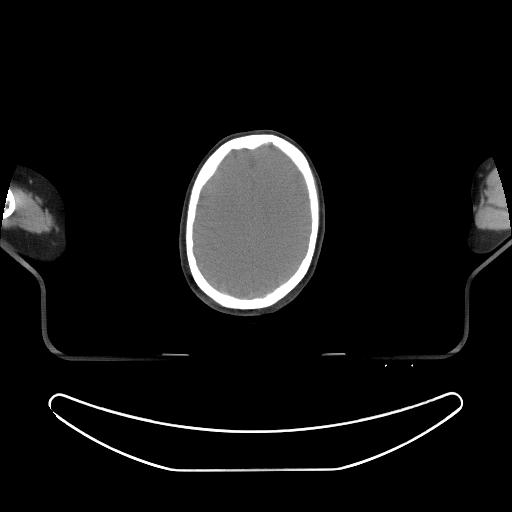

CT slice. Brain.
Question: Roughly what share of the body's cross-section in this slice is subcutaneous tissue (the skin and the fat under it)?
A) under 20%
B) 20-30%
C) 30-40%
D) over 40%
Answer: B) 20-30%
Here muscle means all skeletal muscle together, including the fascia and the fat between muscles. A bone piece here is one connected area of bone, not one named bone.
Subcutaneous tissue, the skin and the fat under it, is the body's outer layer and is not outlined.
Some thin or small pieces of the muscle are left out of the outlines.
The left arm is outlined by 489 156; 491 156; 493 159; 499 179; 501 182; 501 187; 503 190; 505 205; 507 209; 508 223; 511 233; 506 239; 489 253; 478 254; 471 251; 466 245; 466 236; 471 222; 472 214; 472 204; 470 200; 470 185; 476 168; 484 159. The right arm is outlined by 17 164; 26 165; 44 175; 56 187; 63 200; 66 213; 67 245; 65 252; 62 257; 55 262; 52 263; 39 263; 32 260; 28 260; 22 257; 0 241; 1 230; 2 229; 2 214; 5 205; 5 200; 8 189; 10 187; 10 182. The brain is outlined by 268 144; 271 144; 287 156; 303 178; 307 192; 310 217; 307 245; 305 253; 296 269; 287 279; 263 295; 249 298; 238 297; 221 291; 213 286; 204 276; 198 265; 194 253; 194 224; 197 207; 203 187; 230 152; 241 149; 254 150. The head is outlined by 260 128; 273 129; 288 135; 297 141; 312 159; 323 188; 325 233; 315 271; 302 291; 291 302; 276 312; 260 316; 228 315; 218 312; 202 302; 192 292; 183 275; 178 249; 182 203; 188 182; 195 168; 206 152; 218 140; 234 132. The bones appear in 2 outlined pieces: piece 1: 260 133; 274 134; 286 139; 299 148; 307 158; 314 176; 319 200; 318 235; 310 266; 303 278; 291 291; 267 307; 258 309; 233 309; 218 304; 206 295; 197 286; 191 275; 185 248; 187 206; 193 182; 210 154; 221 144; 232 138, around a hole outlined by 268 144; 271 144; 287 156; 303 178; 307 192; 310 217; 307 245; 305 253; 296 269; 287 279; 263 295; 249 298; 238 297; 221 291; 213 286; 204 276; 198 265; 194 253; 194 224; 197 207; 203 187; 230 152; 241 149; 254 150; piece 2: 10 187; 11 189; 11 191; 14 196; 14 198; 16 202; 16 206; 13 212; 10 215; 9 215; 2 222; 2 223; 2 214; 3 213; 3 210; 4 209; 4 206; 5 205; 5 200; 6 199; 6 196; 8 192; 8 189. The muscle appears in 2 outlined pieces: piece 1: 14 183; 17 183; 24 186; 38 195; 43 200; 44 205; 49 209; 54 217; 55 222; 58 226; 57 231; 53 230; 50 233; 47 234; 34 234; 21 229; 8 230; 4 227; 3 222; 14 212; 17 206; 15 196; 10 186; piece 2: 493 169; 497 172; 501 182; 501 187; 503 190; 503 195; 505 199; 505 205; 507 209; 508 223; 509 224; 509 228; 497 232; 495 231; 482 231; 477 229; 475 226; 474 220; 476 208; 479 202; 480 189; 484 181; 485 176.